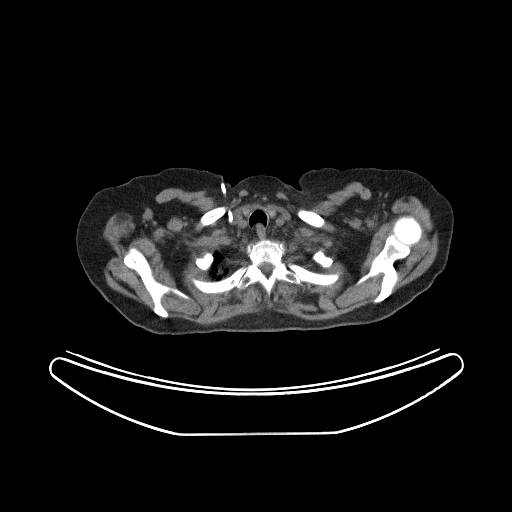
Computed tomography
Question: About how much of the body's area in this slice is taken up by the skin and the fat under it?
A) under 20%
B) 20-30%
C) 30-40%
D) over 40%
Answer: C) 30-40%
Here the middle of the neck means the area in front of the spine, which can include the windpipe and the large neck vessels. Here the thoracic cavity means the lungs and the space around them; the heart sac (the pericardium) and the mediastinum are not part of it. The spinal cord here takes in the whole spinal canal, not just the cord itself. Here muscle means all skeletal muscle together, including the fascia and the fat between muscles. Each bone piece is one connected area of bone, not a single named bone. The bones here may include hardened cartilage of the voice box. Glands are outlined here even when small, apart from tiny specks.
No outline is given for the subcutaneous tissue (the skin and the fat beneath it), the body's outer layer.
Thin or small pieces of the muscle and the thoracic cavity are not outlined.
The middle of the neck is outlined by 249 205; 266 205; 266 212; 271 219; 274 219; 277 215; 277 209; 275 206; 286 210; 290 215; 291 229; 285 235; 263 238; 256 241; 250 240; 238 242; 228 222; 228 216; 232 211; 241 206; 244 206; 241 211; 247 217; 251 212. The right arm is outlined by 108 186; 111 186; 115 190; 117 194; 117 197; 118 198; 117 207; 114 213; 106 221; 102 223; 99 223; 98 224; 87 224; 86 223; 83 223; 79 221; 79 218; 82 212; 84 210; 85 207; 91 198; 95 194; 95 193; 99 190. The bones appear in 7 outlined pieces: piece 1: 263 239; 281 242; 286 249; 285 257; 310 271; 323 274; 339 272; 340 276; 330 285; 308 282; 295 284; 277 280; 270 295; 258 282; 241 290; 234 287; 219 293; 202 292; 191 282; 191 278; 213 281; 230 275; 245 263; 247 244, around a hole outlined by 262 263; 270 263; 272 265; 272 266; 273 267; 272 268; 272 270; 271 271; 271 272; 268 275; 267 275; 266 274; 265 274; 260 269; 260 268; 259 267; 259 266; piece 2: 402 215; 415 218; 421 226; 422 235; 419 241; 411 246; 409 253; 404 258; 394 262; 398 280; 392 293; 382 301; 373 303; 379 293; 383 274; 379 273; 360 284; 356 282; 369 271; 373 258; 383 248; 386 238; 392 232; 394 221; piece 3: 133 247; 140 251; 146 258; 156 281; 164 285; 177 288; 189 297; 189 299; 185 299; 172 292; 166 293; 162 297; 161 303; 168 313; 167 318; 160 317; 153 311; 154 304; 152 298; 140 276; 135 270; 128 267; 123 261; 126 252; piece 4: 299 209; 305 209; 306 210; 310 210; 311 211; 313 211; 317 213; 323 218; 324 220; 324 224; 321 227; 316 227; 315 226; 313 226; 307 223; 305 221; 302 220; 299 217; 298 217; 297 215; 297 212; piece 5: 219 206; 225 206; 225 207; 226 208; 227 211; 226 211; 219 218; 218 218; 214 222; 213 222; 208 225; 203 225; 200 222; 200 218; 202 216; 202 215; 203 214; 204 214; 207 211; 208 211; 211 209; 213 209; 216 207; 218 207; piece 6: 319 250; 322 250; 323 251; 323 252; 326 255; 327 255; 328 256; 330 256; 333 258; 333 262; 330 266; 329 266; 328 267; 323 267; 319 264; 318 264; 316 262; 315 262; 312 259; 312 255; 314 253; 315 253; piece 7: 206 252; 209 252; 210 253; 211 253; 213 255; 213 261; 211 264; 211 266; 210 267; 210 268; 208 270; 203 270; 202 269; 201 269; 199 267; 198 267; 196 265; 196 264; 195 263; 195 258; 196 257; 200 257; 201 256; 202 256. The spinal cord is outlined by 262 263; 270 263; 272 265; 272 266; 273 267; 272 268; 272 270; 271 271; 271 272; 268 275; 267 275; 266 274; 265 274; 260 269; 260 268; 259 267; 259 266. The thoracic cavity is outlined by 216 252; 219 252; 223 257; 223 258; 221 260; 219 264; 219 267; 222 270; 224 270; 226 268; 227 269; 226 273; 223 276; 221 276; 220 277; 221 278; 219 279; 216 279; 212 275; 210 271; 210 269; 214 261; 214 255; 213 254. The thyroid glands appear in 2 outlined pieces: piece 1: 267 205; 273 205; 274 206; 274 207; 276 209; 276 215; 274 217; 274 218; 271 218; 270 217; 270 216; 268 214; 268 213; 267 212; 267 208; 266 207; 267 206; piece 2: 246 205; 248 205; 249 206; 249 208; 250 209; 250 212; 249 213; 249 214; 247 216; 246 216; 243 213; 243 212; 242 211; 242 209. The left arm is outlined by 393 168; 410 170; 422 175; 429 180; 434 187; 444 195; 449 201; 453 211; 453 232; 452 233; 448 259; 431 255; 426 252; 407 245; 400 240; 392 232; 387 225; 383 217; 381 208; 381 193; 382 192; 384 175; 388 169; 392 169. The torso is outlined by 169 167; 208 170; 232 184; 270 175; 296 189; 299 176; 310 169; 387 169; 380 193; 386 225; 407 246; 447 264; 407 305; 369 324; 151 333; 129 322; 90 283; 77 255; 76 229; 78 221; 98 225; 115 213; 119 198; 112 186. The muscle is outlined by 352 181; 362 183; 372 193; 363 205; 367 215; 389 209; 404 195; 422 200; 437 222; 439 247; 426 271; 393 293; 399 280; 395 262; 404 259; 423 235; 415 217; 399 215; 368 271; 355 282; 360 285; 382 274; 378 293; 371 304; 338 317; 307 320; 266 309; 209 325; 171 318; 162 303; 163 297; 169 293; 185 300; 190 297; 177 287; 156 280; 147 258; 134 246; 125 252; 122 261; 139 276; 151 298; 152 310; 113 290; 104 278; 103 230; 110 216; 117 211; 129 213; 138 226; 151 230; 167 216; 165 207; 155 201; 155 196; 165 188; 206 190; 219 198; 242 189; 263 194; 281 191; 298 204; 308 204 with holes at 245 205; 286 210; 291 229; 269 239; 281 242; 292 262; 339 272; 339 278; 330 285; 277 280; 270 295; 258 282; 219 293; 196 288; 191 278; 216 279; 196 257; 219 252; 224 277; 245 263; 247 244; 256 242; 238 242; 228 222 and at 299 209; 305 209; 306 210; 310 210; 311 211; 313 211; 317 213; 323 218; 324 220; 324 224; 321 227; 316 227; 315 226; 313 226; 307 223; 305 221; 302 220; 299 217; 298 217; 297 215; 297 212 and at 219 206; 225 206; 225 207; 226 208; 227 211; 226 211; 219 218; 218 218; 214 222; 213 222; 208 225; 203 225; 200 222; 200 218; 202 216; 202 215; 203 214; 204 214; 207 211; 208 211; 211 209; 213 209; 216 207; 218 207 and at 319 250; 322 250; 323 251; 323 252; 326 255; 327 255; 328 256; 330 256; 333 258; 333 262; 330 266; 329 266; 328 267; 323 267; 319 264; 318 264; 316 262; 315 262; 312 259; 312 255; 314 253; 315 253.